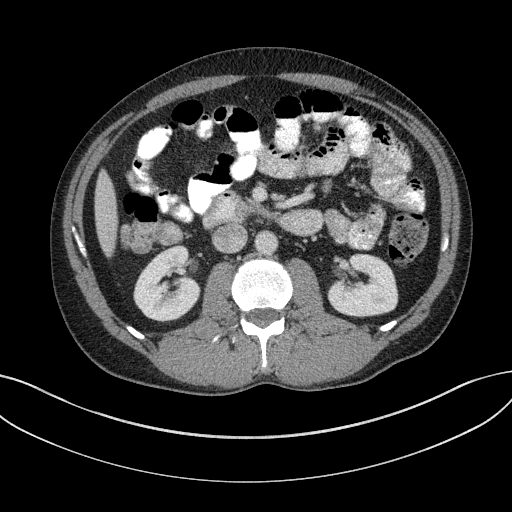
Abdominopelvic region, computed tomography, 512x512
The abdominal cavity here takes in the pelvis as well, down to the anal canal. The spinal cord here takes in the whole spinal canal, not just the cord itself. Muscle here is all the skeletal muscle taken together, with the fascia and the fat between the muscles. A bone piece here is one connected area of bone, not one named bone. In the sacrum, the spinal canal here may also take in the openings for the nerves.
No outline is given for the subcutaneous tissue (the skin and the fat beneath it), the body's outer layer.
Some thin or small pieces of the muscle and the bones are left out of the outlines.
{"bones":[{"outer":[[262,369],[267,365],[265,350],[268,338],[271,335],[279,334],[284,330],[284,309],[292,295],[293,287],[290,275],[281,263],[272,259],[255,258],[245,261],[237,268],[231,284],[231,295],[240,310],[239,324],[241,328],[246,334],[255,335],[259,340]],"hole":[[260,327],[264,327],[268,324],[269,324],[272,321],[277,319],[279,317],[279,314],[278,313],[278,312],[271,308],[264,308],[263,309],[254,309],[253,310],[250,311],[247,314],[247,319],[249,321],[251,321],[253,323],[256,324]]},[[85,258],[87,257],[87,251],[86,250],[86,248],[84,244],[81,241],[77,233],[77,231],[75,227],[73,225],[72,225],[71,226],[71,229],[74,235],[74,238],[77,243],[77,245],[78,246],[78,249],[80,253],[82,255],[82,256]],[[142,340],[143,340],[145,338],[145,336],[141,332],[140,332],[138,330],[137,330],[135,328],[134,328],[131,325],[130,325],[129,324],[127,324],[126,325],[126,328],[128,330],[128,331],[131,334],[132,334],[135,337],[136,337],[139,339],[141,339]],[[381,331],[388,331],[390,329],[391,329],[397,323],[398,320],[396,318],[395,319],[393,319],[392,320],[391,320],[390,321],[389,321],[388,322],[387,322],[384,324],[382,324],[380,326],[379,326],[379,327],[378,328],[379,329],[379,330],[380,330]]],"muscle":[{"outer":[[225,389],[244,385],[263,374],[271,373],[277,379],[293,385],[310,385],[353,374],[392,341],[419,325],[429,315],[434,300],[446,285],[453,270],[461,215],[455,175],[443,147],[431,131],[415,116],[354,82],[331,75],[306,72],[225,74],[184,82],[157,94],[142,107],[123,115],[108,126],[91,143],[75,169],[65,197],[62,220],[63,236],[75,279],[90,308],[113,337],[144,355],[166,375],[194,385],[213,385]],"holes":[[[262,369],[268,338],[284,330],[292,258],[314,270],[327,312],[388,331],[449,243],[435,169],[405,128],[347,95],[267,77],[177,99],[131,124],[88,183],[86,245],[71,226],[108,304],[142,340],[197,318],[211,268],[235,265],[231,295]],[[212,342],[213,342],[214,342],[215,342],[216,341],[217,340],[218,339],[219,338],[220,337],[221,336],[221,335],[221,334],[220,333],[219,333],[218,334],[217,334],[216,335],[215,335],[214,336],[213,337],[212,338],[212,339],[211,340],[211,341]]]}],"abdominal_cavity":[[[142,332],[168,331],[197,318],[211,268],[229,261],[236,270],[255,257],[286,267],[294,257],[306,261],[329,313],[356,324],[397,317],[435,275],[440,202],[429,155],[385,112],[277,78],[244,79],[138,119],[92,174],[83,223],[102,293],[116,315]]],"torso":[[[204,396],[233,394],[261,384],[320,391],[364,382],[429,348],[459,304],[473,239],[471,199],[460,161],[413,100],[362,67],[329,54],[285,46],[237,47],[196,57],[115,103],[83,135],[61,172],[50,215],[50,270],[57,305],[75,343],[115,377]]],"spinal_cord":[[[260,327],[264,327],[268,324],[269,324],[272,321],[277,319],[279,317],[279,314],[278,313],[278,312],[271,308],[264,308],[263,309],[254,309],[253,310],[250,311],[247,314],[247,319],[249,321],[251,321],[253,323],[256,324]]]}